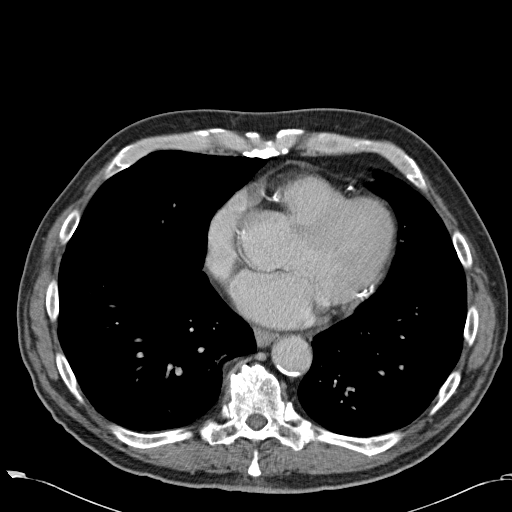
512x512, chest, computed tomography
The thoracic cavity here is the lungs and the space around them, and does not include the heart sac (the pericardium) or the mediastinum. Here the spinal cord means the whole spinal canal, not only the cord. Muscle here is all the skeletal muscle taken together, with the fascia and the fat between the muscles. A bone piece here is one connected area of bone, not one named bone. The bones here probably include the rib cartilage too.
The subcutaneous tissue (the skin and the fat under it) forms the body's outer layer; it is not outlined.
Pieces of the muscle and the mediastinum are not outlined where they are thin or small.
{"thoracic_cavity":[[[167,149],[265,159],[264,164],[212,216],[201,269],[221,299],[251,328],[256,349],[252,353],[235,357],[223,366],[224,398],[219,409],[185,426],[141,432],[106,418],[81,390],[58,337],[58,273],[66,245],[98,188],[106,180],[149,153]],[[375,170],[418,190],[441,218],[464,271],[467,309],[459,357],[429,406],[400,429],[359,437],[315,424],[299,413],[291,400],[284,399],[296,397],[312,365],[314,336],[351,315],[377,289],[402,240],[397,236],[398,222],[390,204],[365,184],[375,181]]],"torso":[[[308,107],[361,110],[404,125],[437,152],[465,190],[497,250],[508,292],[503,357],[487,391],[457,431],[426,458],[391,476],[349,487],[304,493],[194,488],[112,465],[52,418],[20,355],[18,287],[41,219],[82,164],[110,136],[137,120],[182,109]]],"muscle":[[[111,158],[103,172],[105,180],[82,213],[77,207],[73,208],[60,226],[58,238],[65,248],[57,280],[52,278],[47,284],[44,304],[49,320],[57,321],[62,351],[56,351],[54,359],[62,381],[81,404],[85,403],[82,392],[110,421],[106,427],[119,441],[140,449],[184,441],[195,433],[186,426],[219,410],[223,421],[210,416],[197,428],[200,438],[211,446],[228,445],[240,437],[253,443],[275,438],[294,451],[310,442],[321,442],[373,456],[398,443],[405,435],[401,429],[419,417],[435,399],[428,414],[432,416],[439,410],[460,384],[462,372],[454,368],[463,343],[470,347],[475,340],[479,312],[475,304],[467,305],[464,270],[473,264],[470,247],[458,229],[450,235],[442,218],[422,193],[428,188],[421,169],[472,243],[485,270],[494,303],[495,352],[473,400],[460,415],[418,446],[385,463],[341,473],[261,477],[259,450],[255,447],[247,467],[249,475],[237,472],[200,475],[143,461],[105,442],[68,415],[43,389],[25,345],[24,305],[38,273],[44,238],[57,217],[81,196],[87,182]]],"pericardium":[[[288,160],[309,162],[332,172],[342,173],[356,178],[364,188],[389,204],[397,224],[394,253],[381,283],[351,313],[336,319],[324,329],[313,334],[298,330],[280,331],[270,329],[246,320],[220,295],[203,271],[210,222],[219,208],[243,186],[270,168]]],"mediastinum":[[[246,321],[280,332],[298,331],[308,335],[317,333],[311,341],[313,349],[311,365],[301,379],[295,397],[294,395],[284,398],[279,379],[258,362],[242,363],[237,370],[230,369],[224,379],[223,369],[228,362],[239,356],[252,354],[257,349],[253,330]],[[291,150],[303,151],[310,155],[356,152],[379,154],[387,159],[416,188],[402,179],[379,169],[375,169],[372,172],[374,181],[366,182],[364,184],[366,188],[356,177],[298,159],[282,161],[247,183],[265,164],[267,158],[284,155]]],"spinal_cord":[[[252,414],[260,414],[261,415],[262,415],[266,419],[266,423],[262,427],[261,427],[259,429],[254,429],[253,428],[252,428],[250,426],[249,426],[247,424],[247,423],[246,422],[246,420],[247,419],[247,418],[250,415],[251,415]]],"bones":[{"outer":[[256,363],[278,379],[283,399],[315,425],[359,438],[395,430],[404,435],[373,455],[321,441],[294,450],[275,437],[253,442],[240,436],[228,444],[211,445],[201,438],[198,428],[210,417],[225,420],[220,409],[228,400],[224,397],[228,372]],"hole":[[252,414],[260,414],[261,415],[262,415],[266,419],[266,423],[262,427],[261,427],[259,429],[254,429],[253,428],[252,428],[250,426],[249,426],[247,424],[247,423],[246,422],[246,420],[247,419],[247,418],[250,415],[251,415]]},[[214,127],[240,134],[254,131],[264,139],[273,139],[281,129],[302,128],[307,132],[334,132],[395,145],[415,161],[427,189],[420,191],[379,153],[310,154],[297,146],[266,158],[230,149],[222,149],[221,153],[156,149],[105,179],[106,167],[128,144]],[[110,422],[113,422],[129,430],[141,433],[153,433],[154,432],[159,432],[170,429],[176,429],[182,427],[191,428],[194,433],[192,437],[184,440],[176,441],[171,443],[166,443],[154,447],[140,448],[128,445],[119,440],[107,427],[107,424]],[[56,352],[62,352],[65,356],[70,366],[70,368],[72,370],[72,372],[77,381],[77,383],[81,391],[81,394],[84,400],[84,403],[81,403],[74,396],[74,395],[69,390],[69,389],[63,381],[56,364],[56,360],[55,359],[55,354]],[[454,369],[458,369],[460,370],[461,372],[461,378],[460,379],[459,384],[457,386],[456,389],[454,391],[452,395],[447,400],[447,401],[432,415],[430,415],[429,414],[429,412],[432,406],[436,402],[436,399],[435,398],[441,386],[444,383],[450,373]],[[52,279],[54,279],[57,281],[57,289],[58,290],[58,303],[59,304],[59,312],[58,313],[57,320],[55,322],[52,322],[50,320],[50,318],[46,310],[46,305],[45,304],[45,297],[46,296],[46,290],[47,289],[48,284]],[[455,230],[458,230],[462,234],[462,235],[464,237],[469,247],[469,250],[471,254],[471,258],[472,259],[472,264],[469,268],[467,268],[466,269],[464,269],[457,255],[456,250],[452,242],[451,235],[452,233]],[[471,305],[475,305],[477,309],[478,312],[478,325],[477,326],[477,330],[476,331],[476,334],[474,340],[472,344],[469,346],[467,343],[464,341],[463,332],[464,331],[464,327],[465,326],[465,322],[467,316],[467,310],[468,307]],[[75,208],[77,208],[81,212],[81,216],[77,224],[77,226],[75,228],[72,235],[70,237],[70,238],[68,240],[66,244],[64,245],[62,244],[60,241],[60,239],[59,238],[59,232],[60,231],[61,226],[64,220],[66,218],[68,214],[73,209]],[[255,448],[256,448],[258,450],[258,460],[257,461],[257,462],[258,463],[258,465],[259,466],[259,469],[261,472],[260,475],[259,475],[258,476],[252,476],[248,473],[248,467],[251,463],[251,461],[252,460],[252,458],[253,457],[253,450]]]}